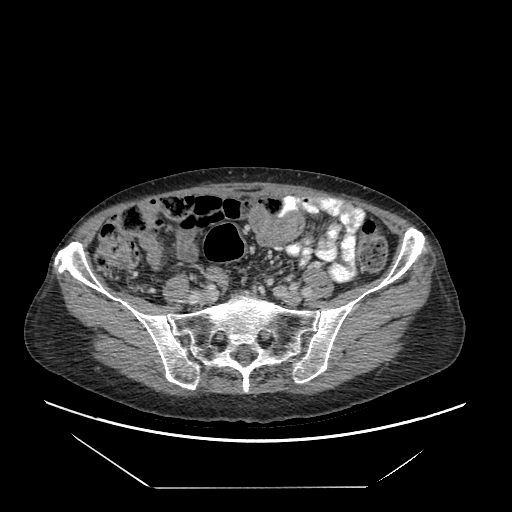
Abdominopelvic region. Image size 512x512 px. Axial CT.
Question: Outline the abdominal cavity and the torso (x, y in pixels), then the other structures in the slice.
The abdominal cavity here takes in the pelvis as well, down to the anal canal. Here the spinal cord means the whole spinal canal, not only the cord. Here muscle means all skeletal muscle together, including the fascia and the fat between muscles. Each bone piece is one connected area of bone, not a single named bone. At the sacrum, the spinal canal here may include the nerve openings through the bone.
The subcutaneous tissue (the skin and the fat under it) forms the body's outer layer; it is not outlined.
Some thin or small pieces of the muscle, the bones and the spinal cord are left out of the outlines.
Answer: {"abdominal_cavity":[[[206,193],[341,198],[379,218],[397,245],[379,277],[330,298],[334,284],[328,274],[308,267],[301,279],[311,309],[288,308],[244,289],[179,312],[190,291],[183,273],[164,282],[167,304],[155,304],[109,287],[92,268],[87,249],[101,224],[131,205]]],"torso":[[[222,166],[264,166],[329,174],[380,191],[416,213],[442,248],[464,316],[465,336],[455,361],[439,372],[342,410],[266,423],[201,421],[141,411],[87,390],[37,363],[24,344],[25,315],[45,278],[53,250],[75,222],[102,200],[132,185],[183,171]]],"spinal_cord":[[[241,345],[248,345],[250,347],[253,348],[256,351],[256,352],[257,353],[257,355],[256,356],[255,356],[247,365],[242,365],[236,359],[234,359],[233,358],[233,357],[231,355],[231,354],[232,353],[233,353],[234,352],[234,351],[238,347],[239,347]]],"bones":[{"outer":[[411,226],[426,250],[354,304],[327,368],[298,384],[290,361],[263,365],[250,373],[248,393],[230,366],[202,365],[193,390],[168,381],[136,317],[53,265],[61,248],[79,241],[103,287],[145,314],[195,312],[244,290],[288,309],[319,310],[379,284]],"holes":[[[241,345],[248,345],[250,347],[253,348],[256,351],[256,352],[257,353],[257,355],[256,356],[255,356],[247,365],[242,365],[236,359],[234,359],[233,358],[233,357],[231,355],[231,354],[232,353],[233,353],[234,352],[234,351],[238,347],[239,347]],[[261,333],[262,333],[263,333],[264,333],[265,333],[266,333],[267,333],[268,333],[269,333],[270,334],[270,335],[270,336],[269,337],[268,338],[267,339],[266,339],[265,339],[264,339],[263,339],[262,338],[261,337],[260,336],[260,335],[260,334]],[[217,334],[218,334],[219,334],[220,334],[221,334],[222,334],[223,335],[223,336],[223,337],[223,338],[223,339],[222,340],[221,341],[220,341],[219,342],[218,342],[217,341],[217,340],[216,339],[216,338],[216,337],[216,336],[216,335]]]}],"muscle":[[[425,235],[437,253],[430,293],[426,303],[415,313],[401,338],[403,347],[393,359],[334,388],[314,394],[285,391],[256,395],[249,393],[251,373],[263,366],[290,362],[291,378],[298,385],[323,373],[328,368],[337,334],[355,304],[400,278],[427,250]],[[53,266],[57,274],[68,272],[76,280],[119,303],[135,317],[150,336],[168,382],[193,391],[200,382],[202,366],[206,369],[230,367],[241,375],[243,394],[211,392],[189,396],[169,395],[120,374],[96,360],[90,354],[92,332],[68,312]],[[226,182],[272,182],[344,193],[395,213],[417,227],[411,225],[404,231],[398,253],[379,283],[342,305],[319,309],[310,308],[304,295],[305,282],[302,276],[308,268],[319,268],[327,274],[333,284],[330,299],[379,278],[391,264],[398,245],[398,237],[379,217],[341,197],[307,193],[254,196],[213,192],[151,197],[110,215],[100,224],[86,249],[89,261],[79,240],[67,242],[76,229],[96,213],[120,202],[149,194]],[[95,273],[109,288],[117,292],[125,292],[129,295],[155,305],[165,306],[168,304],[164,298],[162,289],[165,282],[177,274],[183,274],[187,278],[189,291],[178,312],[159,314],[145,313],[136,309],[121,297],[112,294],[104,287]]]}